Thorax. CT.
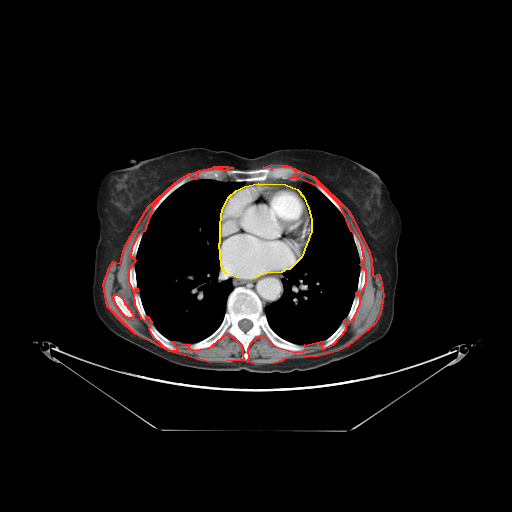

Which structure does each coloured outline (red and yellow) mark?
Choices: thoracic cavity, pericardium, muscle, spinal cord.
red: muscle; yellow: pericardium.
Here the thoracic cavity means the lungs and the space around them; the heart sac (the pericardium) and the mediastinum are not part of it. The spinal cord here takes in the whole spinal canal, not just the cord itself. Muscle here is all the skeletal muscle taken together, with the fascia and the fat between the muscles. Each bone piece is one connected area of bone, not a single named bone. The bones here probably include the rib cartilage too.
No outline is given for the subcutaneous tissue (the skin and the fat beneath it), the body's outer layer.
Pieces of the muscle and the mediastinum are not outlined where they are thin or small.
The muscle appears in 3 outlined pieces: piece 1: 271,164 287,165 313,176 348,210 368,249 371,259 372,274 374,276 378,274 380,277 383,295 380,313 374,324 347,346 337,351 318,356 287,358 274,363 255,364 247,361 249,358 248,349 251,342 262,334 274,346 295,352 303,351 306,348 304,345 320,341 323,341 321,345 322,349 333,344 346,329 346,324 343,321 346,318 350,322 354,317 360,303 360,296 356,294 356,292 361,292 366,282 366,271 360,264 364,259 361,243 357,235 351,231 340,205 319,184 317,183 314,185 301,179 290,178 296,174 295,169 287,166 272,168 263,167; piece 2: 174,183 152,207 144,231 137,235 131,248 130,255 135,260 128,270 128,282 133,291 137,288 138,291 133,293 134,304 140,317 145,321 147,316 151,321 148,329 152,336 168,350 178,350 173,342 189,344 188,347 192,350 208,348 227,333 241,344 243,360 210,362 169,351 135,334 107,306 103,284 109,267 113,261 120,263 124,247 148,206 with a hole at 115,294 120,296 122,298 124,303 127,306 127,307 132,313 132,314 133,315 133,317 132,318 128,318 127,317 126,317 121,312 121,311 118,308 118,307 116,305 116,304 114,301 114,299 113,298 113,296; piece 3: 214,166 228,166 233,168 228,168 224,171 222,169 209,169 208,170 203,170 197,173 196,178 195,179 192,179 191,177 188,175 185,177 183,177 179,181 176,182 179,179 189,173 191,173 198,170 213,167. The pericardium is outlined by 258,183 285,184 297,189 303,196 308,208 311,219 311,231 301,257 289,269 286,269 281,272 266,273 252,278 236,277 226,273 222,269 221,265 219,243 220,242 220,224 222,209 229,196 236,190 244,186. The bones appear in 13 outlined pieces: piece 1: 240,286 252,290 258,296 267,322 275,333 305,348 295,351 279,347 262,333 250,342 247,349 248,358 244,360 242,355 245,351 242,344 227,332 211,346 190,348 190,344 206,338 218,328 226,312 229,294; inner edge: 242,319 247,319 248,320 249,320 250,321 251,321 251,322 252,323 252,326 247,331 243,331 239,327 239,326 238,325 238,323 239,322 239,321 240,321; piece 2: 279,167 287,167 295,170 295,174 286,179 268,178 264,180 256,181 238,181 234,180 227,175 224,175 222,178 197,178 198,173 209,170 222,170 224,172 228,169 238,169 243,171 248,171 261,168 272,169; piece 3: 151,324 152,324 162,335 163,335 166,338 167,338 169,340 170,340 172,342 172,343 177,348 177,350 170,350 166,347 165,347 162,344 161,344 153,336 153,335 151,333 151,332 149,329 149,326; piece 4: 188,176 190,177 191,180 184,183 182,185 178,187 175,190 174,190 157,207 157,208 153,212 152,214 151,213 151,211 153,207 161,198 161,197 176,183 179,182 183,178 185,178; piece 5: 342,322 343,322 345,324 345,329 344,330 344,331 342,333 342,334 333,343 332,343 327,347 325,347 324,348 322,348 322,345 324,343 324,341 328,337 329,337 337,329 337,328 341,324 341,323; piece 6: 115,294 120,296 122,298 124,303 127,306 127,307 132,313 132,314 133,315 133,317 132,318 128,318 127,317 126,317 121,312 121,311 118,308 118,307 116,305 116,304 114,301 114,299 113,298 113,296; piece 7: 134,293 138,293 139,294 139,296 141,300 141,303 143,306 143,308 146,314 146,318 145,320 144,320 141,317 137,309 137,307 135,304 135,301 134,300; piece 8: 356,295 359,296 359,303 358,304 357,309 356,310 356,311 355,312 353,317 351,319 351,320 350,321 349,321 347,319 347,315 348,314 348,313 350,310 350,308 352,305 352,302 354,299 354,297; piece 9: 317,184 318,185 319,185 321,187 322,187 334,199 334,200 339,205 339,206 341,208 341,209 343,211 343,215 340,212 340,211 332,203 332,202 323,193 322,193 315,186 315,185 316,185; piece 10: 131,266 134,266 134,268 135,269 135,277 136,278 136,283 137,284 137,287 134,290 133,290 131,288 131,286 130,285 130,283 129,282 129,270 130,269 130,267; piece 11: 361,268 362,268 363,269 364,269 364,270 365,271 365,282 364,283 364,286 363,287 363,289 361,291 358,291 357,290 357,287 358,286 358,280 359,279 359,274 360,273 360,269; piece 12: 352,233 354,233 356,235 360,243 360,245 361,246 361,248 363,252 363,259 362,261 360,261 360,259 359,258 359,254 358,253 358,251 357,250 357,247 355,244 355,242 354,241 354,239 353,238 353,235; piece 13: 140,233 143,233 142,234 142,237 140,240 140,242 139,243 139,245 138,246 138,248 137,249 137,252 136,253 136,255 135,256 135,257 133,257 131,255 132,248 133,247 133,245 134,244 138,235. The thoracic cavity appears in 2 outlined pieces: piece 1: 196,179 221,179 244,182 244,185 228,196 220,214 218,243 220,267 230,279 233,287 226,298 225,312 220,324 213,332 193,343 185,343 172,341 166,337 148,317 138,290 135,261 143,234 154,212 174,191; piece 2: 304,182 313,185 343,216 356,247 360,268 355,295 346,317 324,340 299,344 287,340 275,332 268,322 264,308 279,300 284,294 282,282 284,276 283,273 292,268 302,257 311,235 312,219 303,195 302,183. The spinal cord is outlined by 242,319 247,319 248,320 249,320 250,321 251,321 251,322 252,323 252,326 247,331 243,331 239,327 239,326 238,325 238,323 239,322 239,321 240,321. The torso is outlined by 189,147 225,150 249,158 284,148 319,149 348,157 376,172 386,184 402,221 394,316 387,333 349,357 316,369 282,374 187,368 110,331 97,316 92,300 100,182 110,171 128,166 131,159 140,161. The mediastinum appears in 2 outlined pieces: piece 1: 282,272 283,272 282,273 283,276 281,279 281,282 283,286 283,294 279,299 273,301 264,307 263,307 261,299 252,289 241,285 234,287 231,279 226,275 227,274 230,276 241,279 252,279 266,274 273,274; piece 2: 268,179 274,179 275,180 277,179 282,179 283,180 286,180 287,179 291,179 292,180 301,180 303,181 303,182 301,183 301,190 302,191 302,194 302,193 301,192 297,188 294,186 285,183 258,182 253,184 245,185 245,182 264,181.